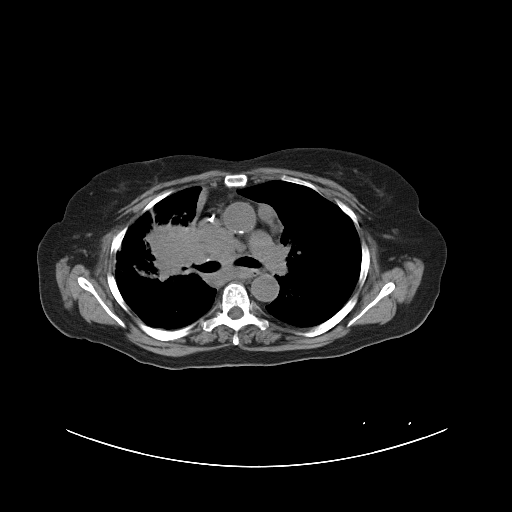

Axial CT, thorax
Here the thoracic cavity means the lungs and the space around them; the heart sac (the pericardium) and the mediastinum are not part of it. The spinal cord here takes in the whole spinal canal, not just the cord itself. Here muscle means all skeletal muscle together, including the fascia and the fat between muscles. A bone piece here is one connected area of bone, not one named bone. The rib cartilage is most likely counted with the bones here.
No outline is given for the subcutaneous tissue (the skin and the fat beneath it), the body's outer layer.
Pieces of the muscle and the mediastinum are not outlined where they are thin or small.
muscle 1: [[256,167],[281,167],[310,173],[333,180],[352,193],[373,214],[369,232],[377,244],[378,261],[382,270],[390,269],[409,257],[422,260],[424,270],[412,299],[408,303],[400,304],[395,315],[387,322],[357,325],[346,335],[319,347],[284,351],[252,351],[239,348],[237,346],[239,330],[247,325],[254,325],[264,331],[271,324],[269,317],[297,328],[308,328],[295,331],[302,337],[315,337],[328,331],[339,323],[357,303],[358,294],[356,292],[352,294],[357,284],[360,288],[363,286],[370,267],[370,251],[364,241],[360,242],[357,231],[360,224],[351,207],[338,198],[335,198],[334,202],[328,199],[312,182],[284,173],[275,179],[246,185],[249,180],[248,176],[239,172]], around a hole outlined by [[390,281],[394,283],[394,285],[395,286],[393,290],[387,295],[382,297],[374,305],[370,307],[350,326],[347,326],[347,323],[352,318],[356,316],[371,301],[372,301],[378,294],[381,288],[387,282],[389,282]]
muscle 2: [[214,169],[233,173],[223,177],[225,186],[197,184],[176,191],[165,189],[129,226],[124,225],[113,236],[109,251],[115,272],[109,270],[106,281],[115,301],[140,319],[136,323],[148,336],[173,341],[197,326],[210,332],[225,325],[233,330],[234,345],[183,356],[162,355],[131,342],[112,325],[89,323],[76,309],[65,307],[55,277],[59,259],[66,255],[92,267],[98,259],[100,239],[112,227],[119,210],[157,183]]; inner edge: [[79,276],[82,276],[84,277],[92,284],[94,289],[101,298],[101,299],[104,302],[104,303],[108,307],[108,308],[125,324],[125,327],[122,327],[106,312],[106,311],[99,303],[97,299],[92,293],[82,288],[79,285],[77,281],[77,279]]
thoracic cavity 1: [[276,179],[310,188],[333,202],[353,223],[360,243],[360,268],[357,283],[350,297],[334,314],[310,327],[290,325],[270,316],[264,310],[280,292],[280,286],[275,276],[281,257],[281,237],[284,226],[277,212],[267,203],[245,197],[238,191],[263,181]]
thoracic cavity 2: [[197,185],[206,186],[208,194],[196,221],[199,241],[195,252],[195,263],[202,279],[216,290],[219,298],[206,313],[185,326],[174,329],[153,327],[142,321],[122,296],[115,278],[116,255],[121,249],[128,228],[142,214],[151,211],[158,202],[169,195]]
bones 1: [[231,282],[244,286],[249,298],[263,309],[270,322],[264,330],[254,324],[241,327],[237,332],[236,345],[233,344],[234,330],[225,324],[210,331],[197,325],[185,336],[160,340],[148,335],[137,323],[140,320],[150,327],[164,330],[185,327],[206,314]], around a hole outlined by [[236,306],[237,307],[238,307],[241,309],[241,310],[242,311],[242,315],[240,317],[239,317],[238,318],[232,318],[229,316],[229,315],[228,314],[228,312],[230,310],[230,309],[231,308],[232,308],[233,307],[235,307]]
bones 2: [[356,293],[357,294],[357,301],[356,303],[352,309],[334,326],[325,331],[323,333],[321,333],[315,336],[311,336],[310,337],[308,337],[307,336],[302,336],[296,333],[296,331],[305,331],[311,327],[316,326],[324,322],[334,315],[347,302],[347,301]]
bones 3: [[79,276],[82,276],[84,277],[92,284],[94,289],[101,298],[101,299],[104,302],[104,303],[108,307],[108,308],[125,324],[125,327],[122,327],[106,312],[106,311],[99,303],[97,299],[92,293],[82,288],[79,285],[77,281],[77,279]]
bones 4: [[390,281],[394,283],[394,285],[395,286],[393,290],[387,295],[382,297],[374,305],[370,307],[350,326],[347,326],[347,323],[352,318],[356,316],[371,301],[372,301],[378,294],[381,288],[387,282],[389,282]]
bones 5: [[362,242],[364,242],[367,245],[367,247],[369,251],[369,267],[367,271],[367,275],[365,278],[365,280],[362,286],[360,287],[358,284],[358,279],[359,278],[359,274],[360,273],[360,269],[361,268],[361,256],[362,255],[361,254],[361,243]]
bones 6: [[109,271],[110,271],[114,276],[114,278],[115,279],[118,290],[121,296],[123,298],[125,303],[130,309],[129,310],[129,312],[125,311],[122,308],[122,307],[116,301],[114,296],[112,294],[112,292],[109,287],[109,285],[107,281],[107,273]]
bones 7: [[234,173],[243,173],[247,176],[248,178],[248,180],[245,186],[243,186],[242,187],[240,187],[239,186],[232,186],[231,187],[228,187],[226,186],[223,183],[223,180],[224,179],[224,177],[227,174],[233,174]]
bones 8: [[126,225],[128,227],[127,228],[127,230],[121,241],[121,246],[120,247],[120,249],[116,253],[116,254],[115,255],[115,261],[115,258],[110,251],[110,249],[111,248],[111,243],[112,242],[112,240],[113,239],[114,236],[124,226],[125,226]]
bones 9: [[283,174],[288,176],[296,177],[297,178],[299,178],[312,183],[317,187],[318,190],[322,194],[322,195],[310,187],[308,187],[305,185],[302,185],[301,184],[298,184],[297,183],[294,183],[293,182],[285,181],[284,180],[281,180],[279,179],[279,177]]
bones 10: [[335,199],[338,199],[339,200],[340,200],[343,203],[344,203],[346,205],[347,205],[353,210],[353,211],[356,215],[356,217],[357,218],[357,221],[359,224],[359,228],[357,230],[356,229],[356,228],[355,227],[355,225],[352,221],[352,220],[335,203]]
bones 11: [[168,189],[174,189],[175,190],[175,191],[174,192],[169,194],[164,198],[163,198],[159,201],[158,201],[153,206],[153,207],[151,210],[148,210],[141,214],[141,212],[142,211],[143,208],[152,199],[153,199],[159,193],[160,193],[165,190],[167,190]]
spinal cord: [[236,306],[237,307],[238,307],[241,309],[241,310],[242,311],[242,315],[240,317],[239,317],[238,318],[232,318],[229,316],[229,315],[228,314],[228,312],[230,310],[230,309],[231,308],[232,308],[233,307],[235,307]]
mediastinum: [[206,185],[241,188],[237,191],[241,196],[272,208],[283,226],[280,257],[274,276],[279,292],[275,299],[263,308],[250,298],[247,289],[240,282],[229,282],[219,295],[217,290],[203,279],[198,269],[196,252],[200,238],[196,227],[209,194]]
torso: [[294,147],[369,156],[393,167],[415,188],[421,214],[438,227],[447,248],[439,294],[415,330],[336,357],[265,366],[167,369],[103,344],[68,337],[48,320],[39,297],[37,246],[46,230],[63,217],[71,196],[94,175],[116,165],[175,154],[244,160]]